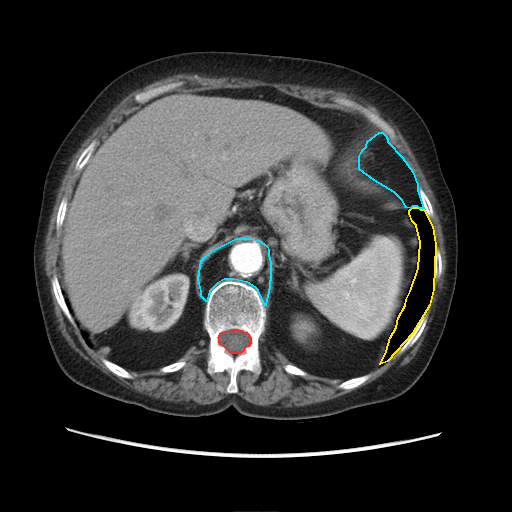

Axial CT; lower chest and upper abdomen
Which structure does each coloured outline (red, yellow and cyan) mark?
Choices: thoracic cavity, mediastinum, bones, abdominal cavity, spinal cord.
red: spinal cord; yellow: thoracic cavity; cyan: mediastinum.
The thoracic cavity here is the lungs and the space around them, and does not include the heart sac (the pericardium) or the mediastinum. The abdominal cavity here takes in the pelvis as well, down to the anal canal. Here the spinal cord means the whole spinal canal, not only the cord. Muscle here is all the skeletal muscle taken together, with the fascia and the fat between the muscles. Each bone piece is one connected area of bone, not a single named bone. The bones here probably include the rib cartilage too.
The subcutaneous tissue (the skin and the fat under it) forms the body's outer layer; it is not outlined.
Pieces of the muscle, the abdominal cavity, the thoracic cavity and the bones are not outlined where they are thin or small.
The spinal cord is outlined by 232,329 237,329 238,330 241,330 244,332 246,332 250,337 250,343 247,346 246,346 241,352 239,352 238,353 233,353 232,352 230,352 224,346 220,344 219,342 219,339 218,337 220,333 224,331 231,330. The thoracic cavity is outlined by 412,207 417,207 420,209 423,209 432,226 435,244 433,289 429,305 412,333 387,361 380,364 386,351 390,337 396,327 398,317 405,305 406,299 410,291 418,268 420,242 416,225 412,221 409,213 409,210. The mediastinum appears in 2 outlined pieces: piece 1: 236,238 251,238 258,240 266,245 268,249 268,255 270,262 270,280 269,281 269,286 265,305 258,290 255,287 247,282 233,279 224,279 217,283 209,291 206,301 201,296 201,291 198,279 201,260 212,250; piece 2: 379,132 382,132 385,135 387,138 387,141 402,157 412,171 417,184 417,190 423,208 420,208 417,206 412,206 410,208 406,207 402,200 394,192 374,180 359,169 359,156 362,150 366,146 367,141. The muscle appears in 2 outlined pieces: piece 1: 179,73 340,89 375,106 385,120 397,126 435,196 446,256 444,284 433,319 422,344 407,364 394,367 358,387 371,376 370,372 410,348 426,326 426,312 435,281 442,274 442,256 436,247 430,220 434,216 430,199 394,148 397,145 394,129 377,114 345,97 333,96 331,99 362,116 340,108 319,106 267,85 192,90 176,88 184,84 177,80 138,92 133,99 139,104 98,143 93,139 80,153 74,165 79,173 69,195 60,200 55,218 55,228 59,230 61,227 61,233 57,275 54,273 50,280 52,292 69,322 79,328 90,347 103,355 102,363 114,375 130,380 133,375 129,371 158,369 161,373 173,373 186,365 184,359 179,359 192,346 198,345 204,329 208,335 206,372 211,375 226,371 229,381 225,392 228,394 210,404 177,403 148,396 120,384 68,344 58,329 44,269 45,237 63,176 83,141 125,96; piece 2: 265,331 269,345 291,363 283,365 283,369 288,374 305,377 309,373 324,378 343,380 337,385 340,390 357,388 335,398 303,406 257,405 242,398 236,394 239,390 238,373 242,370 257,375 261,373 259,339. The bones appear in 10 outlined pieces: piece 1: 224,280 244,282 255,288 265,306 267,314 265,330 258,339 261,371 257,374 246,369 240,370 236,376 238,388 236,393 226,392 230,381 230,375 226,370 211,374 207,372 209,335 203,324 205,306 210,291; inner edge: 232,329 237,329 238,330 241,330 244,332 246,332 250,337 250,343 247,346 246,346 241,352 239,352 238,353 233,353 232,352 230,352 224,346 220,344 219,342 219,339 218,337 220,333 224,331 231,330; piece 2: 333,97 341,97 351,100 366,108 377,115 382,120 385,121 393,129 395,133 395,136 396,137 395,144 396,145 391,144 388,141 388,138 386,135 361,113 355,109 347,107 334,101 332,99; piece 3: 177,81 182,81 183,82 183,84 169,91 161,93 154,97 152,97 150,99 142,103 139,103 135,101 134,99 135,95 138,93 140,93 144,91 147,91 152,88 154,88 164,84 167,84 172,82 176,82; piece 4: 54,274 55,274 58,278 59,284 61,288 61,291 64,297 64,300 71,314 71,316 73,318 73,320 75,323 75,325 73,325 64,314 62,309 60,307 54,295 53,289 52,288 52,283 51,282 52,277; piece 5: 426,313 427,313 427,320 426,321 425,326 421,334 419,336 419,337 410,347 407,348 400,354 398,355 395,355 395,354 398,351 398,350 406,342 406,341 413,333 416,327 418,325 419,322 421,320 423,316; piece 6: 93,140 96,140 97,141 97,143 96,144 91,155 89,157 89,158 87,160 86,163 83,166 83,167 80,170 77,170 75,168 75,165 76,164 76,162 77,161 78,158 80,156 81,153 84,150 84,149; piece 7: 368,373 370,373 370,376 364,382 363,382 357,387 355,387 351,389 340,389 338,388 338,385 343,381 345,380 347,380 348,379 350,379 351,378 353,378 354,377 361,376 364,374 367,374; piece 8: 102,357 104,357 106,358 108,360 117,364 119,366 127,370 132,375 132,378 130,379 129,378 125,378 124,377 121,377 120,376 118,376 114,374 103,363 102,361; piece 9: 65,196 67,196 67,205 66,206 66,209 65,210 65,215 63,219 63,222 60,228 59,229 57,229 56,228 56,218 57,217 57,212 58,211 58,209 59,208 59,205 61,202 61,200 63,198 63,197; piece 10: 418,187 420,187 423,190 431,203 432,209 433,210 433,216 431,218 429,218 428,217 424,209 424,206 423,205 423,203 422,202 422,200 421,199 421,197 420,196 420,194 418,190. The torso is outlined by 202,50 293,56 353,68 400,94 428,127 455,205 457,277 432,358 403,394 312,419 262,419 243,415 233,407 188,418 104,396 77,384 58,366 46,336 33,269 33,243 50,162 88,105 118,75 155,58. The abdominal cavity is outlined by 260,86 352,112 380,131 366,141 358,169 409,209 419,242 381,361 344,380 310,373 274,349 266,337 269,249 236,237 200,260 197,345 159,368 128,370 80,330 60,284 74,183 100,141 140,104 179,88.